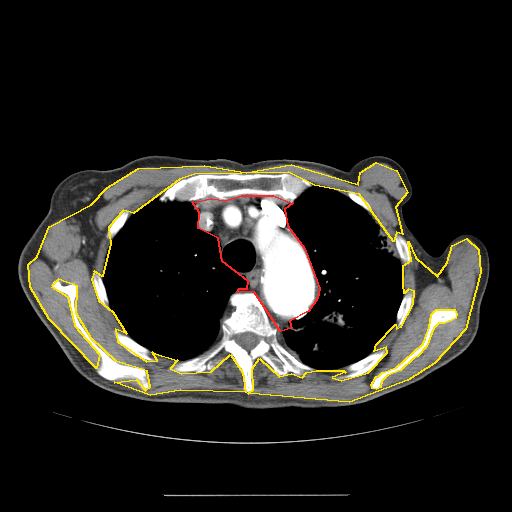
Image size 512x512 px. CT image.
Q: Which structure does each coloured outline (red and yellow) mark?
A: red: mediastinum; yellow: muscle.
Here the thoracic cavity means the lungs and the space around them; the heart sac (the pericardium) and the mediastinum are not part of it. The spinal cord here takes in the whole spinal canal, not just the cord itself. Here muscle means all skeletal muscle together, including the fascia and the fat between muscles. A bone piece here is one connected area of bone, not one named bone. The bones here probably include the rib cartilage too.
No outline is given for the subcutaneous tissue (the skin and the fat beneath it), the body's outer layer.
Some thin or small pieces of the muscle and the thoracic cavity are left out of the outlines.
Outlines:
mediastinum: 241,195 273,195 292,203 284,209 287,225 304,248 319,288 317,298 308,311 289,321 291,328 280,331 254,292 237,291 239,288 247,288 248,281 222,261 218,238 198,228 199,212 192,202 211,198 225,200
muscle 1: 376,162 396,170 407,192 395,207 402,234 396,232 393,241 359,194 314,185 288,172 194,174 179,179 133,213 123,210 108,227 110,243 102,276 94,271 91,279 98,300 112,311 126,333 115,329 117,341 146,361 157,360 152,352 177,360 170,368 181,373 211,371 230,354 242,372 245,392 180,390 150,395 114,382 136,379 145,390 150,386 147,371 116,361 91,338 76,313 77,286 58,279 51,286 67,296 74,325 99,354 96,368 49,319 30,287 28,264 37,256 49,226 91,204 107,187 138,168 204,165 246,172 291,164 358,184 360,172
muscle 2: 466,238 478,249 480,272 465,329 434,363 407,380 349,402 248,393 253,389 252,368 259,358 279,376 291,373 302,377 306,372 316,370 343,370 345,372 332,377 341,380 368,372 387,352 386,347 374,351 376,344 395,324 396,328 401,326 413,304 414,291 408,289 404,293 403,284 403,265 411,260 408,241 415,257 437,276 447,262 452,245; inner edge: 436,309 454,309 456,314 455,318 444,323 438,323 433,328 426,346 417,356 413,358 400,370 387,375 381,381 380,387 376,389 372,388 371,384 376,376 379,375 382,372 396,367 423,343 429,327 431,314
thoracic cavity 1: 157,198 160,202 191,202 198,212 197,228 217,238 221,261 243,276 248,283 247,287 239,287 229,296 228,305 231,308 220,321 220,337 203,352 184,360 151,351 126,332 110,307 102,277 111,241 132,214
thoracic cavity 2: 313,185 346,195 363,208 393,242 403,270 403,295 395,323 375,344 373,351 342,369 320,370 309,366 292,355 277,337 278,330 291,329 290,321 303,317 318,298 320,288 312,264 288,225 285,213 286,207
spinal cord: 245,332 251,332 252,333 255,334 257,336 257,337 258,338 258,342 256,344 256,345 254,347 253,347 249,351 248,351 247,350 246,350 244,348 243,348 237,342 237,336 239,334 240,334 241,333 244,333
bones 1: 236,292 254,293 277,329 278,341 297,360 315,370 302,376 291,372 279,375 259,357 251,368 249,392 243,389 243,372 230,353 211,370 199,373 173,370 173,364 203,353 221,337 221,321 230,312 229,298 with a hole at 245,332 251,332 252,333 255,334 257,336 257,337 258,338 258,342 256,344 256,345 254,347 253,347 249,351 248,351 247,350 246,350 244,348 243,348 237,342 237,336 239,334 240,334 241,333 244,333
bones 2: 231,173 288,173 299,178 304,178 308,180 312,185 302,192 292,202 289,202 282,197 273,194 241,194 237,196 230,196 225,199 211,197 193,201 160,201 158,198 169,187 179,180 198,174 226,175
bones 3: 54,280 63,285 76,286 74,307 79,323 90,338 113,360 120,364 144,368 149,383 147,388 141,389 136,378 118,378 112,381 99,375 96,369 101,364 101,356 75,325 70,312 70,300 65,293 52,286
bones 4: 436,309 454,309 456,314 455,318 444,323 438,323 433,328 426,346 417,356 413,358 400,370 387,375 381,381 380,387 376,389 372,388 371,384 376,376 379,375 382,372 396,367 423,343 429,327 431,314
bones 5: 382,348 386,348 386,352 384,356 372,368 371,368 368,371 354,377 342,378 341,379 334,379 333,378 333,377 335,377 336,376 338,376 341,374 345,373 346,372 343,369 345,367 363,359 372,352 377,351
bones 6: 115,330 123,334 126,334 128,335 137,343 147,348 151,352 150,355 152,357 156,359 156,360 155,361 150,361 149,360 143,359 138,356 136,356 132,354 129,351 128,351 118,341 118,340 114,335 114,331
bones 7: 408,290 411,290 413,291 413,300 412,301 412,304 403,322 400,325 400,326 398,327 396,327 396,315 399,309 399,307 401,304 401,302 402,301 403,296 405,292
bones 8: 396,233 398,233 399,234 402,235 405,238 405,239 408,243 408,245 409,246 409,249 410,250 410,260 409,261 409,263 408,264 403,264 398,256 398,252 396,249 396,246 395,245 395,243 394,242 394,236
bones 9: 94,272 97,272 102,278 102,281 105,287 105,291 106,292 106,294 108,298 108,301 109,302 109,307 110,308 109,310 106,309 101,303 96,293 96,291 94,287 94,284 93,283 93,280 92,279 92,274
bones 10: 125,210 128,210 129,211 129,213 130,214 128,218 126,220 123,226 118,231 118,232 114,236 114,237 111,240 109,240 107,238 107,232 108,231 108,229 109,227 111,225 113,221 123,211
bones 11: 348,191 352,191 356,194 357,194 361,197 362,197 365,200 366,200 369,204 369,205 371,207 371,212 368,212 363,207 362,207 360,205 359,205 357,203 356,203 354,201 353,201 347,195 347,192
torso: 146,155 245,164 298,159 342,170 374,155 395,160 412,187 402,207 405,223 430,255 440,255 463,233 476,235 487,248 489,277 474,339 416,383 342,407 152,402 95,385 72,366 30,305 18,259 64,178